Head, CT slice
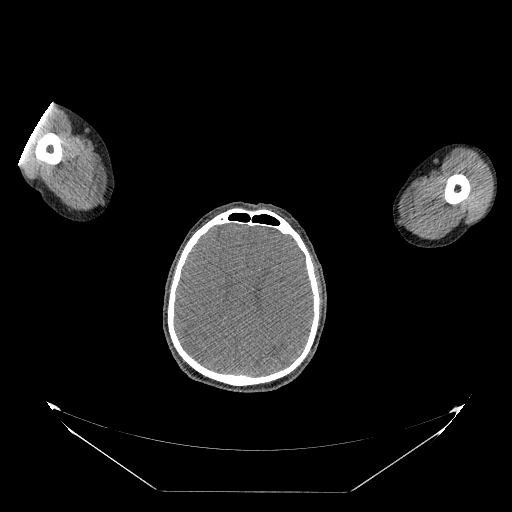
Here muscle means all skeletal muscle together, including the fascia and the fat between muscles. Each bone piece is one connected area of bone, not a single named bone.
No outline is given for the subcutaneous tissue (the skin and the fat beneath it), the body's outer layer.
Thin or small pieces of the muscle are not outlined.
The left arm is outlined by 454,142 467,142 474,144 480,147 491,158 497,174 497,195 493,207 489,213 482,220 472,226 457,240 448,245 435,248 423,248 412,245 408,243 400,235 393,223 392,204 394,198 409,174 420,162 438,148. The bones appear in 3 outlined pieces: piece 1: 233,207 248,209 266,208 289,222 301,236 311,257 320,297 318,328 311,348 303,361 294,370 280,378 265,383 241,386 214,380 192,368 176,351 167,326 167,303 170,284 176,264 186,242 200,226 213,216; inner edges: 231,223 245,224 251,227 261,226 277,230 281,234 289,236 303,255 311,292 312,313 308,333 301,351 290,363 265,374 250,375 223,372 207,367 187,351 176,330 175,304 177,289 189,254 200,238 211,228, then 261,216 267,216 269,218 272,218 274,220 275,220 276,221 276,223 272,223 271,222 266,222 265,221 261,221 260,220 255,220 254,219 254,218 255,217 260,217, then 233,215 245,215 246,216 247,216 247,219 240,219 239,218 237,218 236,217 235,217 234,218 233,217 232,218 231,217; piece 2: 46,132 53,132 55,133 60,138 61,140 61,145 62,146 62,159 60,162 54,165 53,164 49,164 48,163 46,163 43,161 40,161 36,157 35,153 34,152 34,148 37,141 39,139 39,138; piece 3: 454,173 462,173 467,177 467,178 469,180 469,183 470,184 470,191 469,192 468,196 461,202 457,203 456,204 450,204 448,203 444,198 444,189 445,188 445,185 446,184 446,181 447,179 452,174. The muscle appears in 3 outlined pieces: piece 1: 455,146 456,147 460,146 461,147 467,147 475,150 478,152 489,165 492,172 494,182 492,198 485,212 472,223 464,224 451,231 444,237 439,239 430,240 421,238 407,230 399,223 398,203 407,187 436,158, around a hole outlined by 454,173 462,173 467,177 467,178 469,180 469,183 470,184 470,191 469,192 468,196 461,202 457,203 456,204 450,204 448,203 444,198 444,189 445,188 445,185 446,184 446,181 447,179 452,174; piece 2: 50,104 63,111 68,116 73,124 79,128 81,131 93,141 102,157 105,166 108,183 104,198 99,205 95,208 85,211 76,211 69,208 59,201 42,183 29,180 23,171 20,161 21,154 30,134, around a hole outlined by 46,132 53,132 55,133 60,138 61,140 61,145 62,146 62,159 60,162 54,165 53,164 49,164 48,163 46,163 43,161 40,161 36,157 35,153 34,152 34,148 37,141 39,139 39,138; piece 3: 304,240 313,254 314,259 316,261 318,270 319,271 319,274 320,275 321,283 322,284 323,303 322,304 322,313 321,314 321,317 321,297 320,296 320,292 318,287 318,281 315,274 314,264 313,263 312,257. The right arm is outlined by 52,102 55,104 57,103 61,104 71,109 91,124 104,140 110,155 115,179 113,193 109,204 103,213 89,221 84,222 73,221 55,212 42,200 40,194 24,181 18,169 21,154 30,134 45,110. The head is outlined by 238,200 252,203 271,203 287,210 306,231 321,263 326,282 326,319 315,354 295,379 275,390 266,392 234,392 192,380 180,369 172,357 162,329 162,300 164,285 170,264 184,236 194,223 206,212 221,204; inner edges: 261,216 267,216 269,218 272,218 274,220 275,220 276,221 276,223 272,223 271,222 266,222 265,221 261,221 260,220 255,220 254,219 254,218 255,217 260,217, then 233,215 245,215 246,216 247,216 247,219 240,219 239,218 237,218 236,217 235,217 234,218 233,217 232,218 231,217. The brain is outlined by 231,223 245,224 251,227 261,226 277,230 281,234 289,236 303,255 311,292 312,313 308,333 301,351 290,363 265,374 250,375 223,372 207,367 187,351 176,330 175,304 177,289 189,254 200,238 211,228.